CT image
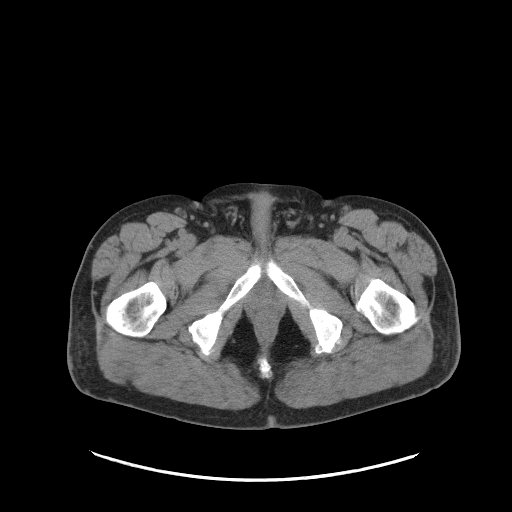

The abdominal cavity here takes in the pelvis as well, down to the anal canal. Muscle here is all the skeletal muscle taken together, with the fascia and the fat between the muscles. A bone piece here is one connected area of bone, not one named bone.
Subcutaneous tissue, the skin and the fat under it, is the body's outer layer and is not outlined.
Outlined structures:
abdominal cavity: [[261,286],[269,286],[272,288],[280,298],[282,302],[281,311],[279,315],[277,316],[277,319],[275,322],[273,332],[267,341],[263,341],[260,337],[254,323],[254,320],[252,318],[252,316],[250,315],[250,312],[248,309],[248,300],[252,294]]
muscle: [[355,208],[370,208],[375,212],[387,212],[404,219],[421,233],[435,254],[437,272],[430,313],[434,334],[433,360],[424,375],[399,386],[329,405],[293,408],[270,392],[268,398],[263,395],[252,406],[238,410],[150,395],[111,382],[103,376],[95,350],[91,266],[101,243],[128,219],[139,214],[167,211],[185,218],[192,228],[207,237],[219,234],[241,238],[260,251],[271,248],[279,236],[326,234],[338,223],[344,212]] with holes at [[148,281],[154,281],[158,285],[161,291],[166,297],[167,306],[165,311],[158,318],[153,325],[150,331],[143,337],[132,337],[131,336],[124,335],[116,331],[106,322],[106,307],[107,305],[114,298],[119,296],[122,293],[132,290],[133,289],[135,289]] and at [[371,278],[379,278],[383,280],[386,283],[404,293],[409,298],[410,298],[415,305],[416,314],[419,316],[419,319],[409,328],[399,333],[385,335],[378,332],[374,328],[369,320],[364,315],[357,311],[354,306],[355,301],[359,297],[360,293],[367,285]] and at [[271,259],[293,278],[297,286],[312,306],[322,308],[329,313],[337,316],[341,320],[342,328],[340,333],[340,342],[334,346],[331,353],[315,353],[314,348],[317,343],[317,339],[309,317],[308,309],[283,293],[268,277],[265,268],[266,263]] and at [[256,262],[260,263],[262,269],[260,278],[242,298],[224,313],[215,343],[212,348],[213,351],[207,356],[204,355],[198,345],[192,340],[191,334],[188,331],[188,326],[193,321],[201,318],[210,312],[215,311],[223,302],[237,278],[243,274],[251,264]] and at [[261,286],[269,286],[272,288],[280,298],[282,302],[281,311],[279,315],[277,316],[277,319],[275,322],[273,332],[267,341],[263,341],[260,337],[254,323],[254,320],[252,318],[252,316],[250,315],[250,312],[248,309],[248,300],[252,294]] and at [[287,308],[292,319],[297,325],[303,337],[308,341],[309,347],[308,348],[308,352],[306,355],[296,356],[293,360],[291,360],[283,365],[279,363],[276,359],[274,358],[272,359],[271,358],[270,356],[270,348],[274,343],[279,330],[280,321],[285,314]] and at [[243,311],[244,311],[246,317],[252,325],[252,329],[256,341],[259,346],[258,350],[259,351],[255,355],[255,358],[251,366],[252,367],[247,369],[246,371],[243,371],[228,356],[223,356],[222,355],[222,351],[227,341],[232,336],[234,329],[242,316]] and at [[260,357],[265,357],[266,358],[267,361],[269,363],[269,365],[271,368],[271,371],[272,372],[272,375],[270,377],[269,377],[268,378],[261,378],[260,377],[260,371],[259,370],[259,364],[257,361],[258,358],[259,358]]
bones 1: [[148,281],[154,281],[158,285],[161,291],[166,297],[167,306],[165,311],[158,318],[153,325],[150,331],[143,337],[132,337],[131,336],[124,335],[116,331],[106,322],[106,307],[107,305],[114,298],[119,296],[122,293],[132,290],[133,289],[135,289]]
bones 2: [[371,278],[379,278],[383,280],[386,283],[404,293],[409,298],[410,298],[415,305],[416,314],[419,316],[419,319],[409,328],[399,333],[385,335],[378,332],[374,328],[369,320],[364,315],[357,311],[354,306],[355,301],[359,297],[360,293],[367,285]]
bones 3: [[271,259],[293,278],[297,286],[312,306],[322,308],[329,313],[337,316],[341,320],[342,328],[340,333],[340,342],[334,346],[331,353],[315,353],[314,348],[317,343],[317,339],[309,317],[308,309],[283,293],[268,277],[265,268],[266,263]]
bones 4: [[256,262],[260,263],[262,269],[260,278],[242,298],[224,313],[215,343],[212,348],[213,351],[207,356],[204,355],[198,345],[192,340],[191,334],[188,331],[188,326],[193,321],[201,318],[210,312],[215,311],[223,302],[237,278],[243,274],[251,264]]
bones 5: [[260,357],[265,357],[266,358],[267,361],[269,363],[269,365],[271,368],[271,371],[272,372],[272,375],[270,377],[269,377],[268,378],[261,378],[260,377],[260,371],[259,370],[259,364],[257,361],[258,358],[259,358]]
torso: [[237,182],[301,185],[326,198],[370,195],[417,215],[439,243],[455,284],[461,352],[451,377],[421,396],[353,416],[305,427],[262,430],[187,423],[98,400],[79,391],[66,362],[69,297],[95,231],[114,212],[132,202],[167,193],[198,200],[215,187]]